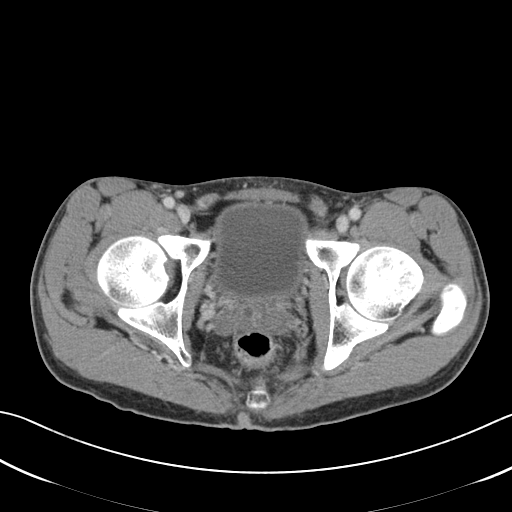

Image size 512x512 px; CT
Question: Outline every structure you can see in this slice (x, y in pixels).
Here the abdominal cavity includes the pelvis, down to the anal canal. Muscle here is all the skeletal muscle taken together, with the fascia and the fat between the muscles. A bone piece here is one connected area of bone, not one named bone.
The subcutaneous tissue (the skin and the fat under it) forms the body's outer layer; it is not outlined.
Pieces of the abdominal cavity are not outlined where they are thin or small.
Answer: {"muscle":[{"outer":[[98,178],[135,181],[184,203],[192,203],[197,197],[209,192],[223,194],[248,188],[272,187],[291,192],[306,192],[317,195],[327,203],[329,212],[343,209],[355,200],[383,195],[396,189],[433,190],[455,211],[473,256],[482,293],[477,325],[458,353],[423,383],[350,397],[271,420],[248,410],[237,410],[227,415],[197,412],[126,387],[83,377],[55,358],[47,339],[37,286],[50,239],[66,211],[68,201],[81,186]],"holes":[[[246,199],[305,204],[308,237],[402,250],[423,272],[420,292],[386,331],[322,370],[329,280],[312,263],[310,335],[278,373],[240,378],[190,344],[205,260],[187,281],[183,368],[117,315],[98,260],[130,235],[210,238],[214,227],[198,231],[197,215]],[[450,282],[455,282],[458,284],[464,291],[467,297],[467,304],[466,305],[466,308],[464,312],[463,318],[460,323],[457,326],[441,335],[435,335],[431,332],[431,325],[433,320],[438,314],[441,306],[440,299],[439,298],[439,291],[441,288],[441,286]],[[251,390],[266,390],[267,391],[267,393],[269,397],[269,400],[268,401],[268,403],[267,405],[264,408],[256,411],[255,410],[252,410],[251,409],[249,409],[246,406],[246,403],[245,402],[246,401],[246,398],[247,397],[247,395],[250,392]],[[314,336],[314,349],[313,350],[313,352],[311,354],[311,359],[308,359],[308,348],[309,347],[309,346],[310,345],[310,344],[311,343],[311,341],[312,340],[312,339],[313,338],[313,337]]]}],"bones":[[[307,237],[356,242],[362,250],[377,245],[392,246],[402,250],[413,258],[424,275],[424,283],[420,292],[403,308],[400,315],[391,322],[386,331],[358,343],[344,361],[329,370],[321,369],[329,337],[329,280],[327,273],[315,265],[306,253],[304,240]],[[162,234],[213,239],[208,254],[190,272],[187,281],[187,290],[181,315],[183,343],[191,355],[191,365],[187,368],[182,367],[176,355],[160,340],[122,320],[116,313],[118,305],[102,291],[96,280],[98,260],[111,243],[130,235],[142,235],[155,239]],[[450,282],[455,282],[458,284],[464,291],[467,297],[467,304],[466,305],[466,308],[464,312],[463,318],[460,323],[457,326],[441,335],[435,335],[431,332],[431,325],[433,320],[438,314],[441,306],[440,299],[439,298],[439,291],[441,288],[441,286]],[[251,390],[266,390],[267,391],[267,393],[269,397],[269,400],[268,401],[268,403],[267,405],[264,408],[256,411],[255,410],[252,410],[251,409],[249,409],[246,406],[246,403],[245,402],[246,401],[246,398],[247,397],[247,395],[250,392]]],"torso":[[[108,175],[172,184],[268,175],[304,179],[354,192],[394,186],[438,190],[462,210],[482,256],[490,308],[480,341],[460,374],[439,392],[309,430],[232,431],[175,424],[119,411],[62,384],[50,373],[37,347],[29,303],[34,260],[58,206],[83,181]]],"abdominal_cavity":[[[246,199],[303,203],[311,211],[314,223],[305,229],[307,236],[303,240],[312,263],[308,296],[312,331],[296,344],[289,363],[278,373],[255,379],[240,378],[196,358],[189,335],[204,284],[205,259],[214,240],[214,227],[198,231],[196,217],[220,201]]]}